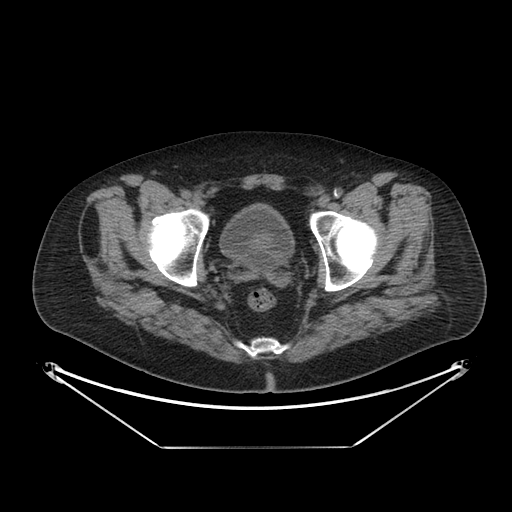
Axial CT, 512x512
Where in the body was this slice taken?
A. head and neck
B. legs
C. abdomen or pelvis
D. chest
C. abdomen or pelvis
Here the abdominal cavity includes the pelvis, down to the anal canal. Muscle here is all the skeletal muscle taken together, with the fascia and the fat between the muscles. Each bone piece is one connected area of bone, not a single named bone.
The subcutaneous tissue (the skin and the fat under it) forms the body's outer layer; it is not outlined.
The torso is outlined by [[234,130],[320,134],[410,161],[439,176],[454,192],[464,210],[485,271],[486,303],[476,328],[463,338],[434,346],[339,385],[293,393],[237,394],[188,387],[148,375],[48,327],[35,309],[31,281],[41,237],[59,200],[86,177],[117,162],[170,144]]. The abdominal cavity is outlined by [[259,185],[274,190],[293,189],[306,196],[306,225],[313,237],[315,280],[305,300],[306,307],[301,323],[296,333],[286,341],[279,341],[270,335],[237,337],[227,321],[222,296],[207,281],[204,264],[204,256],[213,236],[211,197],[225,186],[252,189]]. The bones appear in 3 outlined pieces: piece 1: [[318,210],[331,210],[364,221],[371,226],[375,230],[377,234],[377,246],[376,251],[373,255],[373,261],[371,266],[360,279],[351,285],[336,291],[325,291],[324,290],[325,271],[324,270],[323,258],[317,240],[310,229],[308,223],[310,213]]; piece 2: [[189,208],[199,209],[209,215],[209,227],[203,240],[203,243],[198,255],[196,264],[197,285],[193,287],[188,287],[181,285],[166,277],[151,260],[148,252],[148,243],[147,242],[147,234],[151,225],[151,220],[155,216],[161,215],[168,212],[182,211]]; piece 3: [[260,336],[270,336],[273,337],[275,340],[281,343],[290,343],[290,347],[279,354],[275,354],[272,352],[259,353],[254,358],[251,357],[242,348],[237,347],[234,345],[233,342],[235,340],[241,340],[245,343],[248,343],[252,338],[254,337],[259,337]]. The muscle is outlined by [[384,171],[396,171],[399,174],[407,175],[415,179],[431,194],[434,221],[434,278],[440,303],[434,311],[425,316],[375,336],[353,341],[302,362],[272,359],[234,363],[156,336],[143,329],[136,329],[112,316],[96,301],[98,293],[80,255],[79,226],[86,197],[110,178],[120,174],[137,173],[170,188],[176,188],[178,186],[187,187],[206,180],[225,181],[251,174],[273,173],[282,176],[303,176],[320,182],[347,186]]; inner edges: [[259,185],[274,190],[293,189],[306,196],[315,280],[296,333],[280,342],[290,343],[290,347],[279,354],[259,353],[254,358],[233,343],[248,343],[252,337],[239,338],[232,331],[222,296],[207,281],[204,256],[213,236],[211,197],[225,186],[252,189]], then [[318,210],[331,210],[364,221],[371,226],[375,230],[377,234],[377,246],[376,251],[373,255],[373,261],[371,266],[360,279],[351,285],[336,291],[325,291],[324,290],[325,271],[324,270],[323,258],[317,240],[310,229],[308,223],[310,213]], then [[189,208],[199,209],[209,215],[209,227],[203,240],[203,243],[198,255],[196,264],[197,285],[193,287],[188,287],[181,285],[166,277],[151,260],[148,252],[148,243],[147,242],[147,234],[151,225],[151,220],[155,216],[161,215],[168,212],[182,211]].